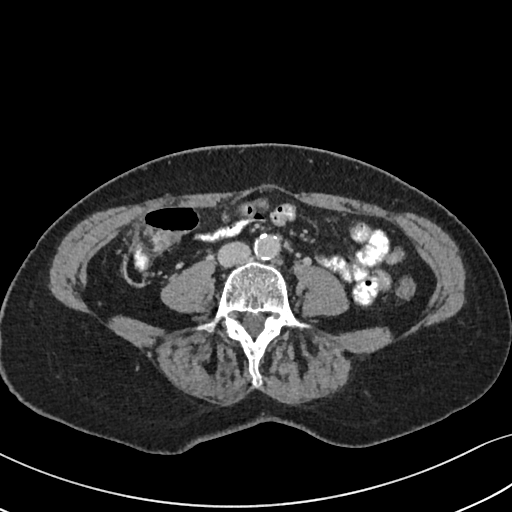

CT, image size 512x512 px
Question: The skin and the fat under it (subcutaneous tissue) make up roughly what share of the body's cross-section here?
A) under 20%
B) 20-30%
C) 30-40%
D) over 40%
Answer: D) over 40%
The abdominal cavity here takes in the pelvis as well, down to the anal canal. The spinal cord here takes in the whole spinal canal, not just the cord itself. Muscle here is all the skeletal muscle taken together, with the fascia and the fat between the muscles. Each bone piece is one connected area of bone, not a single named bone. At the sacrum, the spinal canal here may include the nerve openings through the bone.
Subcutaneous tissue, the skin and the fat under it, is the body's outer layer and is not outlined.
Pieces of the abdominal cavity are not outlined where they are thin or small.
{"abdominal_cavity":[[[266,190],[398,226],[435,277],[413,323],[331,331],[320,318],[349,308],[345,287],[328,269],[301,263],[292,267],[289,300],[275,266],[234,267],[218,301],[213,260],[178,270],[159,292],[170,309],[192,315],[175,329],[88,300],[90,260],[137,217]]],"spinal_cord":[[[247,312],[249,313],[252,313],[255,315],[256,315],[258,313],[263,313],[265,315],[265,317],[263,321],[263,327],[261,331],[255,337],[253,337],[246,330],[246,329],[243,326],[242,324],[242,319],[243,318],[244,313],[246,313]]],"muscle":[{"outer":[[263,183],[276,184],[293,192],[321,192],[322,193],[339,195],[344,197],[349,197],[365,201],[372,204],[375,204],[386,210],[394,212],[405,212],[407,211],[428,218],[440,226],[455,242],[458,247],[459,254],[461,257],[462,263],[465,270],[465,288],[464,289],[465,302],[455,315],[439,323],[436,323],[427,327],[422,327],[407,338],[387,345],[385,347],[371,353],[360,362],[354,373],[349,378],[347,383],[342,389],[340,391],[338,391],[330,399],[325,402],[312,407],[300,408],[286,403],[280,402],[270,397],[260,390],[254,389],[241,400],[228,406],[207,407],[199,405],[186,398],[181,393],[180,390],[175,387],[150,359],[144,353],[142,353],[137,347],[129,341],[115,334],[102,324],[95,317],[85,312],[76,310],[66,306],[51,293],[51,291],[48,287],[49,283],[49,269],[52,263],[52,259],[61,240],[77,223],[94,212],[105,210],[111,207],[116,207],[121,205],[137,204],[148,199],[161,197],[167,194],[180,195],[181,194],[194,194],[195,193],[238,191],[250,187],[257,186]],"hole":[[266,190],[398,226],[435,277],[413,323],[331,331],[320,318],[349,308],[344,285],[296,263],[291,310],[312,326],[282,328],[255,387],[220,323],[193,329],[218,307],[213,260],[178,270],[159,292],[192,315],[184,327],[88,300],[90,260],[137,217]]}],"bones":[{"outer":[[243,264],[260,264],[277,268],[286,282],[292,312],[299,320],[312,326],[311,328],[283,327],[279,335],[267,345],[258,365],[263,382],[259,387],[252,384],[248,359],[240,343],[230,338],[220,323],[213,332],[193,329],[194,326],[213,318],[228,274]],"hole":[[247,312],[249,313],[252,313],[255,315],[256,315],[258,313],[263,313],[265,315],[265,317],[263,321],[263,327],[261,331],[255,337],[253,337],[246,330],[246,329],[243,326],[242,324],[242,319],[243,318],[244,313],[246,313]]}],"torso":[[[251,143],[305,145],[360,159],[434,198],[471,231],[498,270],[511,313],[510,349],[491,387],[442,420],[371,446],[338,446],[298,428],[266,421],[179,454],[148,453],[90,435],[18,401],[0,378],[0,305],[46,228],[94,188],[146,161],[190,148]]]}